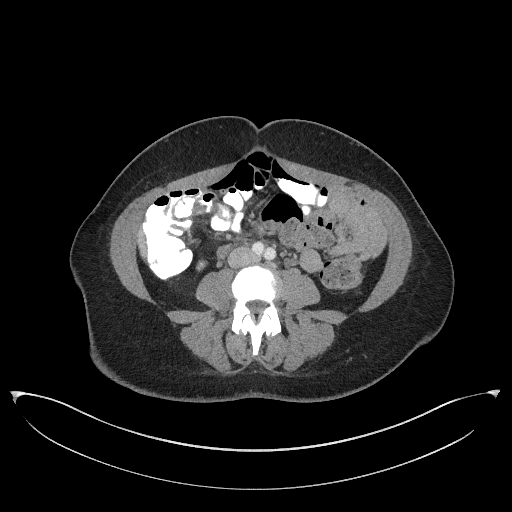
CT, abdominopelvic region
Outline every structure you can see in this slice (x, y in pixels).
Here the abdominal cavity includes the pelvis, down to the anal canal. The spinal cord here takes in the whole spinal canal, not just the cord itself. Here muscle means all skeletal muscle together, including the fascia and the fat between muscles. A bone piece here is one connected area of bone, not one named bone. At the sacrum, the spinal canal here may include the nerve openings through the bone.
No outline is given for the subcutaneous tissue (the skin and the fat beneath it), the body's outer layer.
The bones are outlined by 253 356; 258 353; 264 333; 267 336; 273 336; 281 331; 278 316; 279 309; 274 302; 280 294; 281 278; 275 268; 259 264; 241 268; 236 272; 231 283; 232 294; 236 300; 233 306; 231 329; 236 334; 246 334; 248 332; 250 334, around a hole outlined by 255 314; 257 314; 258 313; 261 313; 262 310; 267 306; 267 303; 266 303; 263 301; 261 301; 260 300; 254 300; 253 301; 250 301; 249 302; 248 302; 247 303; 247 306; 249 308; 249 309; 251 311; 251 312; 252 313; 254 313. The spinal cord is outlined by 255 314; 257 314; 258 313; 261 313; 262 310; 267 306; 267 303; 266 303; 263 301; 261 301; 260 300; 254 300; 253 301; 250 301; 249 302; 248 302; 247 303; 247 306; 249 308; 249 309; 251 311; 251 312; 252 313; 254 313. The muscle is outlined by 218 374; 238 373; 252 364; 256 364; 268 371; 275 373; 296 373; 297 371; 305 370; 320 361; 324 357; 327 350; 331 347; 335 341; 336 335; 335 332; 344 322; 358 314; 366 313; 379 307; 394 295; 404 282; 409 266; 412 261; 413 251; 413 241; 409 226; 405 217; 397 205; 387 195; 377 189; 372 188; 365 183; 291 161; 279 156; 275 152; 272 152; 265 146; 256 146; 252 148; 251 150; 243 154; 235 162; 234 161; 198 171; 172 180; 163 185; 151 188; 135 197; 128 203; 116 218; 110 232; 108 254; 114 271; 121 284; 126 290; 139 299; 159 309; 169 319; 175 332; 192 354; 201 362; 202 365; 207 370 with a hole at 253 356; 264 333; 281 331; 279 270; 296 268; 314 282; 320 301; 312 308; 349 313; 388 257; 387 227; 372 206; 291 177; 261 151; 209 186; 157 198; 135 244; 144 282; 164 309; 208 308; 196 284; 233 269; 231 329; 250 334. The torso is outlined by 200 403; 248 397; 293 402; 340 398; 385 377; 443 327; 454 295; 449 253; 400 174; 357 139; 330 126; 295 118; 273 120; 260 127; 235 115; 196 120; 139 152; 78 227; 69 267; 84 303; 87 349; 93 365; 112 381; 138 393. The abdominal cavity is outlined by 346 313; 366 299; 383 271; 387 227; 363 199; 291 177; 267 152; 251 152; 209 186; 157 198; 140 221; 138 267; 164 309; 208 308; 195 297; 195 286; 206 273; 225 265; 236 271; 259 263; 278 271; 298 269; 320 293; 312 308.